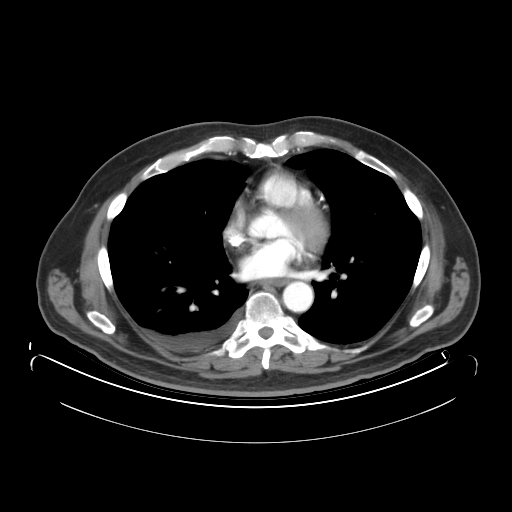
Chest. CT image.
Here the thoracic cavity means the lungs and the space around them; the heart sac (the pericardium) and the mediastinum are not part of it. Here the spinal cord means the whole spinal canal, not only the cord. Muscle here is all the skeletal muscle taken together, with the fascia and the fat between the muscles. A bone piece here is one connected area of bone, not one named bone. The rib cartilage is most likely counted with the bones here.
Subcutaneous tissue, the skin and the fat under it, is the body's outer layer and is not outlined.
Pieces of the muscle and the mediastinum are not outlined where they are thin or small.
The muscle appears in 3 outlined pieces: piece 1: 148,164 139,177 141,181 129,194 122,190 109,202 106,219 111,222 107,244 98,248 96,264 108,292 115,291 122,305 149,337 172,352 198,354 218,346 208,355 221,357 226,354 238,359 248,350 259,347 262,349 260,364 267,370 271,348 276,345 294,354 307,350 337,351 328,343 352,344 373,336 398,309 408,292 418,287 431,255 430,245 422,241 422,204 407,186 401,191 393,179 397,175 389,166 405,176 431,203 467,264 470,286 463,307 451,321 391,350 335,371 264,370 255,376 211,379 123,352 62,317 49,298 47,277 83,239 101,204 with holes at 90,310 95,310 96,311 98,311 100,313 106,316 115,326 115,331 113,333 111,334 109,334 108,333 106,333 104,332 100,328 96,326 87,317 86,315 86,312 and at 427,304 430,304 433,306 433,307 434,308 433,313 427,319 426,319 424,321 423,321 419,325 418,325 415,327 413,327 412,326 411,326 409,324 409,320 411,318 411,317 418,309 421,308 423,306 424,306 and at 363,345 367,345 367,347 364,350 363,350 361,352 360,352 359,353 356,353 355,354 354,354 353,353 350,353 349,352 345,352 344,351 344,349 346,349 347,348 353,348 354,347 359,347 360,346 362,346; piece 2: 325,135 332,136 336,138 339,138 340,139 348,141 356,147 359,148 358,149 352,149 351,150 351,155 338,149 330,148 329,147 319,147 318,146 315,146 318,146 322,144 334,144 336,142 334,138; piece 3: 206,138 207,138 206,139 205,139 203,141 202,141 197,146 196,146 195,147 193,147 192,148 188,148 187,149 184,149 183,150 180,150 179,151 175,151 174,152 169,153 166,155 164,155 165,155 170,152 172,152 173,151 175,151 176,150 178,150 179,149 181,149 182,148 184,148 185,147 188,147 189,146 190,146 203,139 205,139. The torso is outlined by 303,115 335,117 382,133 414,153 443,183 473,235 481,275 476,315 459,340 387,375 363,378 346,387 279,398 228,398 174,391 132,379 46,325 35,286 40,254 86,181 106,160 142,138 185,124 267,123. The pericardium is outlined by 269,161 274,162 278,165 309,179 321,191 329,206 330,235 319,260 319,265 310,279 305,278 300,280 283,280 275,278 259,280 243,279 235,273 233,266 224,248 222,231 230,217 236,200 246,185 247,178. The bones appear in 10 outlined pieces: piece 1: 258,291 273,294 283,312 292,317 304,331 337,350 307,349 294,353 287,347 276,344 270,348 267,369 261,364 263,349 259,346 248,349 238,358 226,353 221,356 208,354 231,335 238,322 245,317 248,296, around a hole outlined by 264,327 269,327 270,328 271,328 272,329 272,333 271,334 271,335 270,336 269,336 267,338 264,338 263,337 262,337 259,334 259,330 260,329 261,329 262,328 263,328; piece 2: 299,130 324,135 334,139 334,143 293,149 277,157 252,158 239,151 230,155 224,152 207,152 163,173 142,181 140,178 158,158 195,148 212,136 227,135 236,139 246,136 257,142 269,143 281,134 290,135; piece 3: 101,245 104,245 106,246 106,248 107,249 107,254 108,255 108,260 109,261 109,267 111,272 111,277 113,281 113,287 114,288 114,290 112,292 109,292 105,286 98,269 98,265 97,264 97,253; piece 4: 359,149 361,149 365,151 367,153 374,156 376,158 383,162 386,165 387,165 395,173 396,175 396,178 392,178 388,175 374,168 372,168 370,166 366,165 364,163 356,159 352,155 352,150 358,150; piece 5: 425,243 427,243 429,245 429,249 430,250 429,262 421,281 417,287 413,291 411,291 410,290 410,288 412,285 412,282 413,281 413,278 414,277 414,275 416,271 416,268 418,264 420,253 421,252 422,247; piece 6: 90,310 95,310 96,311 98,311 100,313 106,316 115,326 115,331 113,333 111,334 109,334 108,333 106,333 104,332 100,328 96,326 87,317 86,315 86,312; piece 7: 122,191 124,191 128,195 128,196 125,201 125,203 124,204 122,209 120,211 120,212 111,221 109,221 107,219 107,210 108,209 108,207 109,206 109,204 110,203 110,202 112,200 112,199 118,193 119,193; piece 8: 407,187 409,189 410,189 416,195 416,196 418,198 421,204 421,207 422,208 422,212 423,214 422,215 422,218 420,220 419,220 418,218 412,212 412,211 408,206 405,200 405,198 402,193 402,191 405,188; piece 9: 427,304 430,304 433,306 433,307 434,308 433,313 427,319 426,319 424,321 423,321 419,325 418,325 415,327 413,327 412,326 411,326 409,324 409,320 411,318 411,317 418,309 421,308 423,306 424,306; piece 10: 363,345 367,345 367,347 364,350 363,350 361,352 360,352 359,353 356,353 355,354 354,354 353,353 350,353 349,352 345,352 344,351 344,349 346,349 347,348 353,348 354,347 359,347 360,346 362,346. The thoracic cavity appears in 2 outlined pieces: piece 1: 198,158 237,162 249,172 245,185 236,198 221,231 222,245 231,266 231,275 244,285 248,295 244,302 244,317 237,322 230,335 219,345 198,353 179,353 154,341 123,305 114,287 107,245 112,221 141,182; piece 2: 318,148 346,153 391,178 420,224 422,246 409,290 397,309 373,335 352,343 322,341 304,330 297,322 314,303 312,281 322,265 322,257 331,235 331,211 324,194 310,179 306,168 292,167 286,162 296,155. The spinal cord is outlined by 264,327 269,327 270,328 271,328 272,329 272,333 271,334 271,335 270,336 269,336 267,338 264,338 263,337 262,337 259,334 259,330 260,329 261,329 262,328 263,328. The mediastinum appears in 2 outlined pieces: piece 1: 232,266 234,273 246,281 275,279 283,281 300,281 305,279 310,280 313,277 311,281 314,291 313,303 309,309 296,321 292,316 284,312 279,300 273,293 265,290 258,290 249,295 249,291 245,285 232,275; piece 2: 306,147 317,148 296,154 290,157 285,164 296,169 305,168 306,174 309,178 270,160 261,165 248,176 250,173 248,168 237,161 201,157 209,153 224,153 229,156 240,153 252,159 277,158 293,150 300,151.